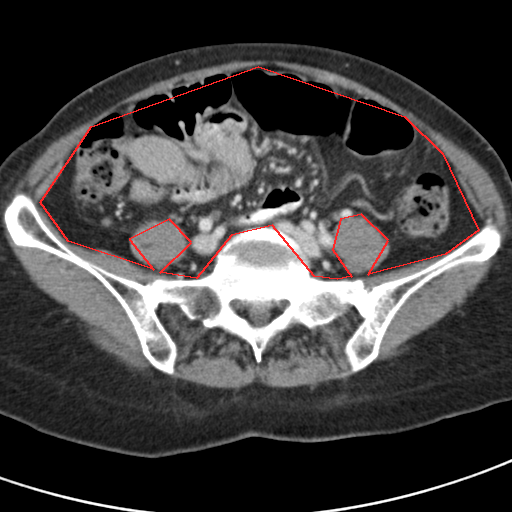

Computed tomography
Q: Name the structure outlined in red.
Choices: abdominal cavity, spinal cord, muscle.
A: red: abdominal cavity.
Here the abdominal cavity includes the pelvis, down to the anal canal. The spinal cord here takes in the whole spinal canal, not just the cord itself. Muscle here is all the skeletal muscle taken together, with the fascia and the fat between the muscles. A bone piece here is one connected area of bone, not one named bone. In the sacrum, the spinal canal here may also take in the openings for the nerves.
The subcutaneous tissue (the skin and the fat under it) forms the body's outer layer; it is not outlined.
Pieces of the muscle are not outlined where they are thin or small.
Outlines (x, y in pixels):
abdominal cavity: [[258,66],[404,116],[442,153],[478,230],[445,254],[368,274],[388,240],[361,214],[340,219],[332,249],[351,276],[337,279],[314,276],[272,225],[231,235],[196,278],[160,272],[191,242],[169,219],[129,239],[153,269],[68,241],[40,202],[91,126]]
muscle 1: [[233,60],[277,60],[335,72],[385,96],[465,149],[488,172],[506,206],[509,232],[501,249],[502,234],[497,226],[488,221],[480,228],[476,214],[439,147],[404,115],[353,90],[275,65],[242,67],[143,97],[102,117],[78,140],[61,174],[39,202],[45,216],[68,242],[105,249],[145,269],[154,268],[132,253],[130,239],[133,233],[140,224],[146,222],[173,222],[185,231],[190,242],[188,252],[186,258],[159,272],[184,278],[158,275],[142,283],[85,259],[51,230],[32,197],[23,191],[12,197],[4,208],[2,219],[15,246],[45,251],[96,278],[123,309],[143,356],[152,367],[171,375],[175,372],[178,348],[157,313],[160,304],[176,305],[190,321],[199,321],[206,329],[219,328],[245,341],[258,364],[263,359],[269,341],[292,324],[297,323],[312,330],[331,323],[348,306],[352,306],[362,320],[346,340],[343,352],[350,371],[355,373],[333,385],[316,389],[283,389],[259,384],[242,391],[220,392],[148,371],[134,371],[93,344],[44,295],[7,245],[0,227],[1,201],[52,141],[153,82]]
muscle 2: [[495,255],[496,258],[490,266],[485,279],[480,283],[477,290],[471,295],[469,300],[456,316],[438,325],[420,342],[401,354],[390,359],[374,361],[380,353],[381,344],[391,322],[402,306],[413,294],[424,285],[446,272],[450,272],[462,266],[481,264]]
muscle 3: [[357,215],[365,217],[379,230],[389,244],[387,257],[368,275],[383,273],[443,255],[416,271],[370,286],[365,284],[362,277],[351,279],[349,278],[352,276],[346,273],[346,269],[339,262],[339,256],[333,249],[332,233],[334,226],[340,220],[346,220]]
torso: [[246,41],[320,45],[383,64],[415,81],[448,104],[471,123],[498,153],[511,176],[511,400],[397,434],[319,442],[292,442],[253,436],[204,450],[160,458],[124,455],[66,441],[0,414],[0,163],[14,148],[36,133],[67,101],[121,69],[180,49]]
bones: [[21,192],[74,253],[142,284],[200,278],[258,226],[293,237],[314,277],[368,287],[488,222],[501,245],[413,293],[357,372],[344,352],[363,320],[352,305],[312,329],[292,323],[258,363],[245,340],[160,303],[171,374],[96,277],[15,245],[3,214]]; inner edge: [[233,301],[239,301],[245,307],[245,310],[248,314],[262,313],[267,310],[274,310],[281,306],[282,303],[281,302],[282,301],[286,301],[287,304],[282,311],[273,317],[268,323],[262,326],[254,326],[250,323],[246,317],[242,316],[236,311],[232,304]]
spinal cord: [[233,301],[239,301],[245,307],[245,310],[248,314],[262,313],[267,310],[274,310],[281,306],[282,303],[281,302],[282,301],[286,301],[287,304],[282,311],[273,317],[268,323],[262,326],[254,326],[250,323],[246,317],[242,316],[236,311],[232,304]]